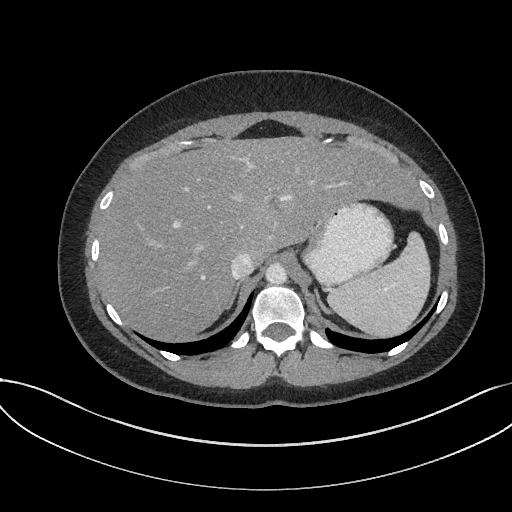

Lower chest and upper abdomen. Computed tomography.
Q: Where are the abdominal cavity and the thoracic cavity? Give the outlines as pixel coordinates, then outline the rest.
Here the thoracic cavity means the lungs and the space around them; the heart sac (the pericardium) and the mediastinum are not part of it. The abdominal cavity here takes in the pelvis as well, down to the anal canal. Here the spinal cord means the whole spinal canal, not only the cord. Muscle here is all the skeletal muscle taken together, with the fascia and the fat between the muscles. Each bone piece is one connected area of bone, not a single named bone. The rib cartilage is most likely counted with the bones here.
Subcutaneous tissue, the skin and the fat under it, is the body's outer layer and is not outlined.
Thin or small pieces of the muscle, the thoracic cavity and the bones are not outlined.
A: The abdominal cavity is outlined by 170 343; 204 339; 223 329; 265 272; 276 267; 290 274; 306 313; 316 316; 323 331; 384 339; 409 330; 441 291; 437 226; 413 174; 369 147; 322 142; 273 120; 231 138; 157 154; 134 168; 105 210; 98 267; 124 323; 134 332. The thoracic cavity appears in 2 outlined pieces: piece 1: 180 355; 181 354; 195 354; 206 351; 211 351; 229 343; 235 337; 249 315; 249 310; 252 303; 253 294; 249 296; 240 313; 227 327; 217 334; 204 340; 183 344; 170 344; 152 340; 145 336; 135 333; 143 340; 158 349; 171 351; piece 2: 364 352; 386 351; 405 340; 409 339; 427 321; 433 313; 439 297; 438 297; 436 302; 428 313; 413 328; 404 334; 394 338; 384 340; 366 340; 346 336; 337 332; 333 332; 331 330; 326 329; 323 332; 324 336; 334 344; 344 348. The bones appear in 8 outlined pieces: piece 1: 278 357; 286 350; 294 349; 299 341; 303 341; 306 330; 313 344; 324 348; 333 348; 335 345; 304 322; 303 303; 292 288; 267 286; 253 300; 250 310; 253 321; 249 328; 229 345; 232 348; 244 346; 253 331; 256 341; inner edge: 278 341; 280 341; 281 340; 284 339; 286 337; 287 337; 289 335; 290 335; 293 333; 293 330; 288 325; 287 325; 284 323; 273 323; 272 324; 269 325; 264 331; 264 334; 265 335; 266 335; 267 336; 268 336; 275 340; 277 340; piece 2: 131 169; 140 165; 146 160; 149 159; 152 155; 157 153; 168 153; 171 151; 175 151; 189 145; 193 145; 196 143; 196 141; 195 140; 180 140; 179 141; 177 140; 173 142; 170 142; 157 150; 144 153; 132 160; 129 164; 129 167; piece 3: 396 163; 398 162; 398 158; 397 156; 385 147; 376 144; 373 142; 366 141; 362 138; 357 138; 354 136; 346 136; 345 137; 345 141; 347 141; 350 143; 358 144; 359 145; 369 146; 373 149; 375 149; 387 157; 390 160; piece 4: 431 199; 434 197; 434 191; 433 190; 433 189; 431 187; 431 186; 427 182; 426 182; 424 180; 423 180; 422 179; 419 179; 418 180; 418 182; 419 183; 419 185; 420 186; 422 191; 424 193; 424 194; 427 197; 428 197; piece 5: 434 315; 435 314; 437 314; 439 313; 444 307; 446 303; 446 301; 447 300; 447 297; 448 296; 448 292; 447 290; 443 290; 441 292; 441 294; 440 295; 439 300; 437 303; 437 305; 436 306; 435 311; 433 314; piece 6: 119 325; 122 325; 123 324; 123 322; 121 320; 121 319; 119 317; 118 314; 116 312; 116 311; 114 309; 114 308; 111 305; 111 304; 110 303; 107 303; 106 304; 106 310; 107 311; 107 312; 108 313; 109 316; 117 324; 118 324; piece 7: 100 209; 105 209; 109 205; 109 204; 110 203; 110 202; 111 201; 111 200; 113 197; 113 194; 114 193; 112 190; 110 190; 109 191; 108 191; 103 196; 103 197; 101 199; 101 200; 100 201; 100 203; 99 204; 99 207; 100 208; piece 8: 387 355; 393 355; 394 354; 396 354; 397 353; 400 352; 407 345; 407 344; 408 343; 408 340; 407 341; 405 341; 403 343; 402 343; 401 344; 400 344; 399 345; 390 349; 388 351; 387 351; 387 352; 386 353; 386 354. The muscle appears in 3 outlined pieces: piece 1: 233 389; 248 389; 252 387; 263 385; 272 376; 280 377; 290 385; 301 386; 302 387; 314 386; 315 385; 324 386; 327 384; 341 383; 369 376; 382 370; 387 369; 394 365; 396 365; 414 354; 438 333; 451 316; 455 308; 456 298; 457 297; 457 263; 456 262; 457 242; 456 241; 456 235; 453 227; 453 224; 450 220; 444 198; 434 181; 411 157; 392 143; 371 133; 365 128; 352 122; 345 121; 338 118; 324 116; 316 113; 306 112; 300 110; 298 111; 295 110; 277 110; 270 112; 252 111; 244 113; 235 113; 234 114; 221 115; 218 117; 210 118; 206 120; 202 120; 188 125; 160 139; 158 141; 132 153; 123 159; 118 165; 118 167; 110 178; 109 181; 96 198; 91 211; 88 223; 88 227; 86 231; 87 238; 84 248; 84 255; 85 256; 85 262; 86 264; 84 268; 84 271; 85 272; 86 284; 88 289; 88 295; 91 307; 98 319; 119 341; 131 350; 148 360; 165 372; 179 379; 201 386; 229 387, around a hole outlined by 174 361; 181 354; 211 351; 228 343; 232 348; 242 347; 251 331; 257 342; 278 357; 303 341; 306 330; 311 342; 319 347; 337 345; 364 352; 386 351; 387 355; 400 352; 430 316; 441 311; 448 296; 447 290; 441 290; 440 261; 440 243; 446 245; 448 236; 444 225; 440 222; 437 226; 433 221; 427 199; 434 197; 431 186; 422 179; 417 180; 383 146; 354 136; 346 136; 344 142; 322 142; 273 120; 258 122; 224 140; 207 144; 177 140; 136 157; 129 164; 132 170; 116 191; 108 191; 100 201; 100 209; 106 211; 100 240; 95 238; 92 242; 91 258; 98 261; 110 300; 106 304; 109 316; 119 325; 125 323; piece 2: 322 335; 323 335; 323 334; 322 333; 322 331; 319 328; 319 325; 317 323; 317 320; 316 319; 315 316; 314 316; 311 314; 306 314; 306 316; 305 317; 305 322; 306 323; 307 323; 309 325; 309 327; 313 327; 315 329; 316 329; piece 3: 236 337; 237 337; 244 329; 245 329; 246 328; 248 328; 248 325; 252 321; 252 319; 251 318; 251 316; 250 315; 250 314; 250 315; 246 320; 245 323; 243 325; 242 328; 240 330; 240 331; 238 333; 238 334; 236 336. The mediastinum is outlined by 254 297; 256 293; 260 289; 267 285; 285 285; 292 287; 297 292; 297 286; 295 285; 293 282; 293 280; 292 280; 289 276; 289 274; 288 274; 283 268; 276 268; 273 270; 268 270; 264 275; 262 281; 260 282; 260 284; 254 294. The torso is outlined by 226 408; 316 407; 409 385; 448 363; 464 345; 478 318; 485 288; 484 244; 463 180; 415 118; 381 94; 349 79; 301 69; 247 69; 187 83; 118 126; 85 165; 67 197; 57 247; 58 289; 66 317; 84 348; 107 371; 138 389. The spinal cord is outlined by 278 341; 280 341; 281 340; 284 339; 286 337; 287 337; 289 335; 290 335; 293 333; 293 330; 288 325; 287 325; 284 323; 273 323; 272 324; 269 325; 264 331; 264 334; 265 335; 266 335; 267 336; 268 336; 275 340; 277 340.